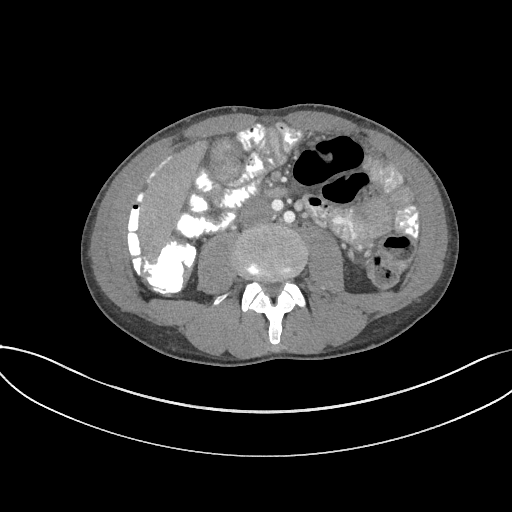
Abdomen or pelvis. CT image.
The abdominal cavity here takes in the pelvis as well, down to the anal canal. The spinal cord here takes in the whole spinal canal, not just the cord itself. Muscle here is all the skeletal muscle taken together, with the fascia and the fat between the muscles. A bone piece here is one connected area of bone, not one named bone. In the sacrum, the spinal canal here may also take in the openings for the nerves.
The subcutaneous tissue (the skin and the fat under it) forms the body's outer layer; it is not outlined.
muscle: (240, 359) (274, 352) (318, 353) (328, 348) (338, 347) (357, 336) (371, 322) (403, 308) (434, 285) (441, 275) (447, 257) (449, 235) (446, 215) (442, 198) (433, 178) (424, 165) (409, 150) (391, 137) (377, 130) (360, 126) (345, 118) (325, 112) (301, 110) (283, 116) (230, 113) (208, 117) (173, 135) (157, 140) (143, 149) (118, 173) (100, 203) (90, 237) (91, 267) (101, 290) (112, 302) (128, 313) (152, 324) (174, 329) (195, 346) (210, 354) with holes at (272, 344) (283, 315) (305, 306) (292, 280) (307, 259) (302, 225) (337, 241) (348, 291) (394, 291) (411, 266) (417, 203) (358, 135) (264, 119) (200, 139) (150, 172) (130, 210) (127, 246) (147, 300) (209, 303) (196, 288) (200, 247) (237, 231) (241, 308) (266, 315) and at (214, 305) (216, 305) (217, 304) (218, 304) (223, 299) (224, 299) (228, 295) (228, 293) (227, 292) (226, 292) (225, 293) (223, 293) (222, 294) (221, 294) (220, 295) (218, 295) (216, 297) (215, 297) (215, 298) (214, 299) (214, 300) (213, 301) (213, 304)
torso: (227, 367) (273, 359) (319, 360) (365, 351) (400, 335) (438, 303) (456, 267) (458, 224) (441, 179) (405, 139) (379, 122) (329, 104) (297, 103) (277, 108) (222, 105) (192, 113) (156, 131) (108, 176) (89, 209) (80, 239) (81, 270) (95, 304) (121, 330) (162, 354)
abdominal cavity: (204, 304) (213, 295) (196, 288) (200, 247) (215, 233) (240, 233) (261, 224) (298, 232) (310, 223) (327, 231) (344, 258) (346, 290) (394, 291) (411, 266) (420, 235) (409, 186) (358, 135) (284, 120) (260, 120) (179, 147) (150, 172) (136, 196) (127, 246) (147, 300)
spinal cord: (271, 297) (275, 297) (280, 292) (280, 291) (282, 289) (282, 287) (283, 286) (283, 284) (284, 283) (284, 280) (279, 280) (276, 282) (270, 282) (269, 281) (262, 281) (261, 282) (261, 285) (263, 288) (263, 290) (264, 291) (264, 292) (266, 294) (267, 294)
bones 1: (272, 344) (280, 341) (283, 315) (295, 305) (305, 306) (304, 296) (292, 280) (304, 267) (307, 250) (299, 234) (292, 229) (279, 225) (261, 225) (240, 234) (234, 255) (239, 274) (248, 281) (242, 293) (241, 308) (243, 311) (252, 309) (266, 315) (269, 321) (268, 336); inner edge: (271, 297) (275, 297) (280, 292) (280, 291) (282, 289) (282, 287) (283, 286) (283, 284) (284, 283) (284, 280) (279, 280) (276, 282) (270, 282) (269, 281) (262, 281) (261, 282) (261, 285) (263, 288) (263, 290) (264, 291) (264, 292) (266, 294) (267, 294)
bones 2: (214, 305) (216, 305) (217, 304) (218, 304) (223, 299) (224, 299) (228, 295) (228, 293) (227, 292) (226, 292) (225, 293) (223, 293) (222, 294) (221, 294) (220, 295) (218, 295) (216, 297) (215, 297) (215, 298) (214, 299) (214, 300) (213, 301) (213, 304)